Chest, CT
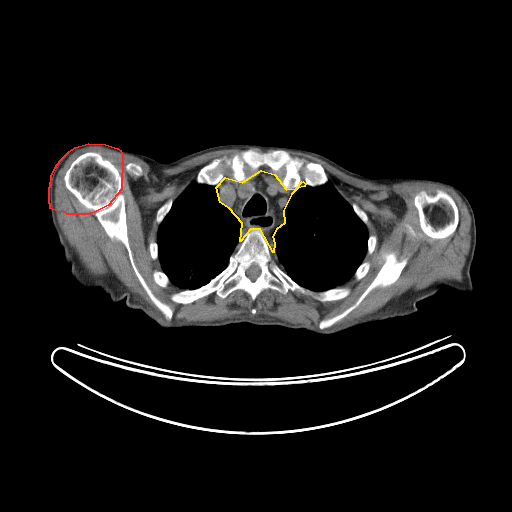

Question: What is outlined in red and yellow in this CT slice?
Answer: red: right arm; yellow: mediastinum.
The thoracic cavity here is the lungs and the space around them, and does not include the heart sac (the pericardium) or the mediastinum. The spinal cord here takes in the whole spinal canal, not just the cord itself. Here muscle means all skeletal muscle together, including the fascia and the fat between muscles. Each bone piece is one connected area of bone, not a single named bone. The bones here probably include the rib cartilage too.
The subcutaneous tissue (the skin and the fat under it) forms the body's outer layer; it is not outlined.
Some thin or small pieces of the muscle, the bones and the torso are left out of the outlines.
The right arm is outlined by (88, 143) (105, 144) (117, 148) (120, 150) (122, 155) (121, 189) (108, 205) (92, 213) (89, 213) (88, 214) (67, 214) (64, 212) (57, 211) (50, 208) (50, 204) (49, 203) (49, 187) (50, 186) (51, 176) (55, 167) (60, 160) (69, 151) (75, 147). The mediastinum is outlined by (261, 170) (274, 174) (286, 189) (296, 188) (302, 181) (305, 183) (304, 186) (297, 188) (291, 194) (283, 210) (284, 223) (276, 229) (272, 236) (274, 243) (273, 252) (260, 229) (250, 229) (240, 241) (242, 223) (229, 208) (220, 202) (216, 187) (225, 177) (242, 182). The left arm is outlined by (403, 177) (428, 178) (447, 182) (459, 189) (468, 199) (474, 213) (475, 226) (476, 227) (476, 246) (473, 260) (470, 267) (470, 276) (473, 284) (473, 290) (471, 293) (468, 294) (461, 293) (446, 287) (442, 288) (433, 278) (420, 258) (414, 245) (402, 205) (402, 180). The thoracic cavity appears in 2 outlined pieces: piece 1: (329, 180) (351, 206) (355, 214) (366, 225) (368, 237) (366, 241) (366, 253) (353, 275) (340, 285) (316, 291) (299, 284) (280, 267) (272, 255) (272, 252) (275, 251) (273, 236) (277, 229) (285, 223) (284, 210) (292, 194) (297, 189) (306, 185) (311, 187) (320, 186); piece 2: (193, 181) (198, 184) (215, 186) (219, 202) (229, 209) (241, 223) (239, 232) (240, 242) (236, 250) (229, 256) (227, 265) (219, 273) (206, 283) (196, 288) (182, 289) (170, 281) (169, 277) (162, 270) (158, 258) (159, 250) (157, 235) (159, 225) (170, 211) (173, 202). The bones appear in 12 outlined pieces: piece 1: (252, 229) (262, 232) (272, 257) (296, 283) (316, 292) (347, 287) (349, 294) (337, 300) (320, 301) (296, 291) (289, 290) (284, 294) (267, 288) (252, 300) (244, 290) (237, 289) (224, 298) (213, 292) (190, 303) (173, 302) (170, 299) (173, 293) (196, 289) (219, 274); inner edge: (252, 264) (256, 264) (259, 267) (259, 268) (260, 269) (260, 273) (259, 274) (259, 275) (255, 279) (255, 280) (254, 280) (253, 281) (252, 280) (251, 280) (247, 276) (247, 275) (246, 274) (246, 271) (247, 270) (247, 269); piece 2: (88, 151) (99, 153) (118, 170) (121, 177) (120, 192) (125, 201) (128, 243) (134, 263) (154, 294) (172, 309) (173, 313) (170, 320) (166, 319) (143, 288) (135, 274) (125, 246) (107, 235) (97, 219) (95, 211) (80, 203) (65, 185) (64, 176) (71, 163) (79, 155); piece 3: (246, 149) (285, 150) (293, 157) (320, 164) (328, 180) (315, 186) (302, 180) (296, 187) (286, 188) (281, 182) (284, 170) (274, 172) (263, 165) (255, 170) (248, 168) (248, 177) (242, 181) (228, 173) (216, 185) (198, 183) (195, 179) (202, 167) (216, 158) (229, 158); piece 4: (439, 189) (449, 194) (454, 200) (458, 209) (458, 223) (453, 233) (447, 237) (445, 237) (444, 238) (432, 238) (425, 234) (422, 231) (419, 225) (418, 212) (414, 205) (414, 198) (415, 196) (421, 191) (425, 191) (427, 194) (431, 196) (433, 196) (436, 193) (437, 190); piece 5: (389, 253) (393, 253) (399, 261) (404, 258) (407, 259) (407, 262) (398, 278) (388, 286) (385, 287) (378, 286) (373, 288) (360, 303) (343, 318) (327, 328) (320, 329) (319, 323) (322, 319) (331, 318) (341, 313) (351, 306) (359, 298) (372, 282) (385, 262) (385, 256); piece 6: (155, 270) (158, 270) (159, 271) (162, 271) (168, 277) (168, 278) (169, 279) (169, 283) (167, 285) (167, 286) (166, 287) (162, 287) (161, 286) (158, 285) (156, 283) (155, 283) (155, 282) (153, 280) (153, 277) (152, 276) (152, 274) (153, 273) (153, 272); piece 7: (169, 199) (172, 199) (172, 200) (173, 201) (172, 202) (172, 204) (171, 205) (171, 207) (170, 208) (169, 211) (165, 215) (165, 216) (163, 218) (163, 219) (159, 224) (156, 221) (156, 214) (157, 213) (157, 211) (158, 210) (158, 209) (165, 202) (166, 202); piece 8: (363, 261) (368, 261) (370, 263) (370, 267) (369, 268) (369, 269) (368, 270) (367, 273) (363, 277) (362, 277) (360, 279) (357, 280) (355, 278) (355, 277) (354, 276) (354, 273) (355, 272) (355, 271) (357, 269) (357, 268) (362, 263) (362, 262); piece 9: (130, 162) (132, 162) (133, 163) (136, 163) (137, 164) (138, 164) (141, 167) (141, 168) (142, 169) (142, 173) (141, 174) (141, 175) (140, 175) (139, 176) (134, 176) (133, 175) (130, 174) (126, 170) (126, 169) (125, 168) (125, 166) (128, 163) (129, 163); piece 10: (353, 203) (355, 203) (362, 210) (363, 210) (365, 212) (365, 213) (367, 215) (367, 224) (365, 224) (362, 221) (362, 220) (356, 214) (356, 213) (354, 211) (354, 210) (353, 209) (353, 208) (352, 207) (352, 206) (351, 205); piece 11: (370, 235) (374, 235) (375, 236) (376, 236) (376, 238) (377, 239) (377, 240) (376, 241) (376, 245) (375, 246) (375, 248) (374, 249) (374, 250) (370, 254) (369, 254) (368, 253) (367, 253) (367, 241) (368, 240) (368, 238) (369, 237) (369, 236); piece 12: (151, 241) (154, 241) (155, 242) (156, 242) (156, 243) (157, 244) (157, 249) (158, 250) (158, 256) (157, 257) (157, 258) (156, 259) (153, 259) (151, 257) (151, 256) (150, 255) (150, 252) (149, 251) (149, 249) (148, 248) (148, 245) (149, 244) (149, 243). The muscle appears in 2 outlined pieces: piece 1: (90, 146) (138, 157) (156, 172) (208, 152) (245, 149) (212, 159) (174, 200) (169, 198) (156, 211) (156, 241) (147, 248) (161, 270) (151, 276) (162, 288) (171, 282) (181, 289) (169, 296) (173, 303) (186, 305) (213, 293) (224, 299) (237, 290) (254, 301) (267, 289) (337, 301) (351, 292) (338, 286) (368, 273) (371, 263) (364, 258) (378, 240) (369, 235) (368, 215) (344, 198) (320, 163) (288, 151) (312, 155) (378, 184) (418, 181) (454, 190) (471, 219) (462, 280) (443, 279) (410, 289) (355, 321) (330, 327) (373, 289) (388, 287) (399, 278) (408, 259) (399, 260) (389, 252) (358, 298) (341, 312) (322, 318) (319, 329) (247, 315) (167, 323) (113, 273) (90, 272) (62, 234) (54, 202) (56, 177) (73, 153); inner edges: (88, 151) (99, 153) (118, 170) (121, 177) (120, 192) (125, 201) (128, 243) (134, 263) (154, 294) (172, 309) (173, 313) (170, 320) (166, 319) (143, 288) (135, 274) (125, 246) (107, 235) (97, 219) (95, 211) (80, 203) (65, 185) (64, 176) (71, 163) (79, 155), then (439, 189) (449, 194) (454, 200) (458, 209) (458, 223) (453, 233) (447, 237) (445, 237) (444, 238) (432, 238) (425, 234) (422, 231) (419, 225) (418, 212) (414, 205) (414, 198) (415, 196) (421, 191) (425, 191) (427, 194) (431, 196) (433, 196) (436, 193) (437, 190), then (130, 162) (132, 162) (133, 163) (136, 163) (137, 164) (138, 164) (141, 167) (141, 168) (142, 169) (142, 173) (141, 174) (141, 175) (140, 175) (139, 176) (134, 176) (133, 175) (130, 174) (126, 170) (126, 169) (125, 168) (125, 166) (128, 163) (129, 163); piece 2: (263, 166) (268, 167) (274, 173) (276, 173) (281, 170) (283, 170) (283, 175) (281, 179) (278, 178) (278, 177) (274, 173) (270, 172) (265, 169) (261, 169) (254, 175) (252, 176) (249, 176) (247, 173) (247, 170) (248, 169) (251, 171) (255, 171) (260, 167) (262, 167). The torso is outlined by (226, 144) (303, 149) (372, 178) (402, 177) (401, 205) (413, 245) (441, 288) (418, 301) (409, 315) (320, 335) (247, 322) (164, 328) (127, 307) (124, 299) (113, 302) (99, 287) (80, 285) (65, 260) (50, 209) (88, 215) (108, 206) (122, 189) (121, 150) (166, 163). The spinal cord is outlined by (252, 264) (256, 264) (259, 267) (259, 268) (260, 269) (260, 273) (259, 274) (259, 275) (255, 279) (255, 280) (254, 280) (253, 281) (252, 280) (251, 280) (247, 276) (247, 275) (246, 274) (246, 271) (247, 270) (247, 269).